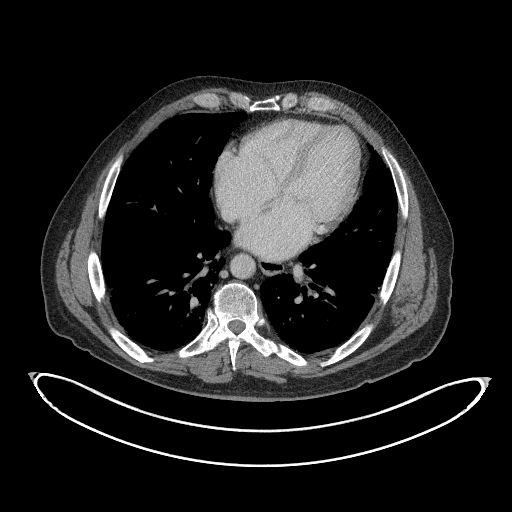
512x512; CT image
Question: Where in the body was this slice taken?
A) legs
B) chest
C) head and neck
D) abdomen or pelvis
Answer: B) chest
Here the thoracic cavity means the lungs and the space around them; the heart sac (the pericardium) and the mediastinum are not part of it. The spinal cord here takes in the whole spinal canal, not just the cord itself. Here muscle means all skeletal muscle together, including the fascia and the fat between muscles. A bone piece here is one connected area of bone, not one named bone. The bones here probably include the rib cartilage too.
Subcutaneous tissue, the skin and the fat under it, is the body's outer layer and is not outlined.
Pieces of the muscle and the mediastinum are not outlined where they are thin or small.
The thoracic cavity appears in 2 outlined pieces: piece 1: 156,350 178,349 190,341 206,321 206,308 212,306 211,296 230,235 213,224 214,213 209,189 216,159 233,128 245,119 244,111 182,113 164,120 131,152 116,181 104,218 100,248 107,294 119,324 128,335; piece 2: 300,352 316,352 344,342 359,328 374,303 392,254 397,211 395,190 388,168 381,156 372,147 369,148 372,157 364,177 362,193 347,220 325,240 303,252 289,272 272,276 261,286 260,297 270,323 284,342. The spinal cord is outlined by 235,333 239,333 244,328 244,327 245,326 245,325 244,324 244,323 243,322 242,322 241,321 240,321 239,320 233,320 232,321 231,321 228,324 228,327 233,332 234,332. The bones appear in 10 outlined pieces: piece 1: 233,370 242,340 266,357 274,353 298,366 308,363 288,346 258,331 257,328 267,322 259,302 249,287 235,282 225,284 213,293 213,306 206,310 206,323 177,351 179,357 188,357 211,350 227,339, around a hole outlined by 235,333 239,333 244,328 244,327 245,326 245,325 244,324 244,323 243,322 242,322 241,321 240,321 239,320 233,320 232,321 231,321 228,324 228,327 233,332 234,332; piece 2: 246,112 251,112 255,110 276,111 282,109 286,110 296,106 299,101 299,98 297,94 290,92 283,97 276,94 272,97 265,99 258,99 252,102 248,96 236,92 232,92 228,96 229,101 235,107 243,109; piece 3: 405,219 407,217 407,211 408,210 407,187 406,186 405,178 401,169 401,167 399,165 395,157 384,145 381,145 380,147 380,152 385,163 391,172 391,175 396,190 398,207 401,211 401,214 403,218; piece 4: 321,366 325,366 334,363 344,358 353,352 359,346 360,346 367,338 373,329 374,324 371,322 365,324 355,333 354,333 354,334 344,343 337,347 335,349 334,352 325,361 320,362 320,365; piece 5: 100,219 103,219 104,217 115,184 115,181 120,171 120,168 124,159 124,156 122,153 120,153 116,157 115,160 111,165 104,180 102,186 102,190 100,194 99,203 98,204 98,217; piece 6: 99,302 101,301 106,293 106,287 105,286 104,278 103,277 103,274 101,269 99,256 95,250 91,250 89,252 89,254 87,258 87,270 88,271 90,284 91,285 94,296 97,301; piece 7: 383,305 387,302 393,290 393,288 397,278 397,275 399,270 399,266 400,265 400,259 401,258 401,250 399,248 396,249 393,252 393,254 389,262 389,265 387,267 380,290 378,293 378,296 380,299 380,301; piece 8: 140,362 152,362 154,360 154,359 152,357 150,357 139,345 138,345 135,342 131,340 125,334 121,332 115,327 113,326 109,326 108,327 108,331 110,335 116,342 116,343 130,356 133,357 135,359 136,359; piece 9: 319,111 331,111 336,108 336,105 329,99 326,99 325,98 323,98 322,97 316,97 315,96 313,96 312,97 309,98 306,101 306,102 305,103 305,107 304,108 304,110 305,109 309,109 310,110 318,110; piece 10: 211,109 213,108 215,108 216,109 219,108 219,106 220,105 220,100 217,95 215,94 212,94 211,93 203,93 202,94 198,94 193,97 193,101 198,106 200,107 202,107 203,108 210,108. The pericardium is outlined by 280,262 292,259 329,235 345,219 359,196 365,166 365,151 355,132 338,117 313,112 294,112 292,114 286,113 266,118 248,127 244,132 230,140 217,159 213,172 211,194 218,217 244,247 257,255 269,257. The torso is outlined by 239,401 308,399 374,382 427,357 448,323 454,241 447,215 419,159 392,119 365,95 333,82 314,79 264,82 197,75 160,88 97,145 57,205 44,236 40,280 46,319 55,334 153,384 192,395. The mediastinum appears in 3 outlined pieces: piece 1: 260,303 261,284 272,275 289,271 298,256 285,263 280,263 257,256 244,248 217,217 213,201 210,194 211,187 210,189 210,198 215,213 214,224 231,235 230,244 223,254 225,261 216,289 228,282 242,282 254,291; piece 2: 228,141 233,137 235,137 236,135 244,131 248,126 266,117 286,112 287,113 292,113 294,111 298,112 297,110 293,108 286,111 282,110 278,112 275,111 255,111 251,113 247,113 246,119 234,128; piece 3: 364,176 366,171 368,169 368,163 371,157 371,154 368,148 370,146 372,146 373,148 374,148 367,139 363,136 359,130 355,127 355,126 343,119 343,120 356,132 358,137 361,140 366,151 366,166 365,167. The muscle appears in 2 outlined pieces: piece 1: 208,383 229,382 237,373 274,383 333,373 391,347 421,327 435,308 435,253 409,175 375,127 354,108 327,94 292,92 300,98 295,108 312,111 303,108 313,95 333,101 337,108 325,112 355,125 380,154 379,147 384,144 396,157 406,178 409,199 408,217 403,219 398,208 397,212 394,250 399,247 402,258 394,290 384,306 376,296 360,327 371,321 374,329 344,359 325,367 319,365 341,343 316,353 298,352 309,362 298,367 274,354 266,358 242,341 233,371 227,340 211,351 181,359 177,350 156,351 128,336 118,324 107,295 97,302 89,284 86,258 91,249 99,255 103,222 97,217 99,194 115,157 122,152 124,161 164,119 199,107 192,101 198,93 217,94 220,107 236,108 227,98 232,91 246,94 252,101 265,98 226,87 206,87 161,106 107,162 61,245 55,263 57,289 67,309 87,330 134,365, around a hole outlined by 140,362 152,362 154,360 154,359 152,357 150,357 139,345 138,345 135,342 131,340 125,334 121,332 115,327 113,326 109,326 108,327 108,331 110,335 116,342 116,343 130,356 133,357 135,359 136,359; piece 2: 285,344 286,344 278,337 277,334 269,323 269,321 266,316 266,314 261,304 261,301 260,306 262,309 262,313 265,316 268,322 263,327 261,328 258,328 259,331 265,336 267,337 270,337 277,342 282,342.